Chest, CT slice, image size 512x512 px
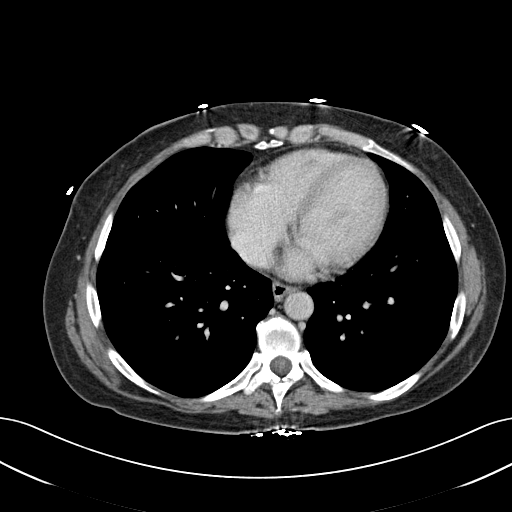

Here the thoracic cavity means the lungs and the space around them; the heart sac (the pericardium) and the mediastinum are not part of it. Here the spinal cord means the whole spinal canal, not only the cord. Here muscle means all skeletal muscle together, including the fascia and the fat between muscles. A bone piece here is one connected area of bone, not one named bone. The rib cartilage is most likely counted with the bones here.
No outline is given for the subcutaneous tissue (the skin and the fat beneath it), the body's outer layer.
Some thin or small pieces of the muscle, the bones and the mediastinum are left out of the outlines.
Outlined structures:
thoracic cavity 1: (200, 146) (232, 148) (248, 152) (252, 156) (233, 184) (225, 224) (230, 244) (239, 257) (249, 268) (270, 280) (273, 303) (255, 325) (256, 349) (244, 367) (229, 381) (204, 395) (183, 397) (149, 383) (116, 350) (102, 321) (96, 271) (115, 214) (128, 191) (174, 153)
thoracic cavity 2: (371, 153) (411, 172) (428, 190) (438, 210) (457, 270) (457, 292) (446, 335) (438, 348) (419, 369) (375, 392) (345, 388) (323, 374) (303, 346) (302, 337) (314, 311) (314, 301) (307, 289) (349, 271) (371, 251) (385, 227) (390, 207) (389, 182) (382, 168) (369, 156)
bones 1: (276, 316) (282, 316) (295, 326) (315, 367) (345, 390) (337, 393) (321, 388) (306, 374) (287, 390) (279, 414) (274, 412) (276, 402) (267, 382) (248, 395) (239, 390) (213, 401) (197, 401) (197, 398) (229, 382) (245, 367) (257, 349) (256, 325) (263, 319) with a hole at (278, 356) (282, 356) (283, 357) (284, 357) (285, 358) (286, 358) (290, 362) (290, 369) (284, 375) (283, 375) (282, 376) (280, 376) (278, 374) (277, 374) (276, 373) (275, 373) (271, 369) (271, 368) (270, 367) (270, 364) (271, 363) (271, 362) (276, 357) (277, 357)
bones 2: (240, 124) (255, 126) (259, 138) (267, 141) (267, 130) (276, 126) (312, 124) (316, 134) (326, 126) (357, 133) (401, 157) (413, 172) (328, 136) (298, 144) (286, 138) (283, 144) (264, 149) (241, 137) (237, 146) (208, 143) (179, 149) (183, 139) (201, 130) (236, 129)
bones 3: (108, 347) (112, 347) (114, 348) (115, 350) (137, 374) (138, 374) (155, 389) (157, 389) (159, 391) (159, 394) (155, 394) (154, 393) (152, 393) (138, 386) (132, 381) (128, 379) (123, 374) (122, 374) (117, 369) (117, 368) (110, 360) (107, 354) (107, 348)
bones 4: (421, 368) (424, 368) (424, 370) (422, 375) (419, 379) (410, 388) (402, 393) (399, 396) (389, 400) (381, 400) (380, 401) (374, 401) (371, 399) (369, 399) (366, 396) (368, 392) (371, 392) (372, 393) (379, 392) (395, 385) (397, 383) (410, 376)
bones 5: (459, 290) (462, 290) (465, 293) (465, 295) (466, 296) (466, 305) (465, 306) (465, 311) (464, 312) (463, 320) (459, 329) (459, 331) (456, 336) (453, 339) (451, 339) (447, 335) (447, 333) (449, 328) (449, 323) (451, 318) (451, 314) (453, 309) (454, 301)
bones 6: (87, 282) (91, 282) (92, 283) (92, 284) (95, 287) (96, 289) (96, 292) (97, 293) (97, 298) (99, 302) (99, 308) (101, 312) (101, 324) (98, 327) (95, 327) (94, 326) (89, 315) (88, 309) (87, 308) (86, 296) (85, 295) (85, 289) (86, 288) (86, 283)
bones 7: (442, 213) (444, 213) (448, 216) (451, 222) (453, 224) (458, 235) (458, 238) (461, 246) (461, 254) (459, 258) (459, 262) (458, 264) (456, 263) (454, 259) (453, 254) (451, 251) (448, 240) (446, 237) (443, 228) (443, 224) (441, 218) (441, 214)
bones 8: (111, 211) (114, 211) (114, 216) (113, 217) (111, 228) (110, 229) (110, 231) (108, 234) (108, 236) (105, 243) (105, 247) (101, 254) (101, 256) (98, 262) (96, 262) (94, 258) (94, 249) (97, 243) (97, 240) (99, 236) (99, 233) (103, 225) (103, 223) (107, 215)
spinal cord: (278, 356) (282, 356) (283, 357) (284, 357) (285, 358) (286, 358) (290, 362) (290, 369) (284, 375) (283, 375) (282, 376) (280, 376) (278, 374) (277, 374) (276, 373) (275, 373) (271, 369) (271, 368) (270, 367) (270, 364) (271, 363) (271, 362) (276, 357) (277, 357)
muscle 1: (183, 137) (176, 145) (180, 150) (164, 159) (127, 191) (115, 213) (111, 210) (106, 215) (98, 233) (93, 249) (97, 263) (95, 286) (87, 281) (84, 295) (93, 326) (98, 328) (102, 322) (113, 346) (106, 348) (111, 363) (128, 380) (152, 394) (159, 395) (159, 389) (183, 398) (196, 398) (200, 403) (213, 402) (239, 391) (248, 396) (267, 383) (276, 415) (282, 413) (283, 399) (288, 390) (306, 375) (321, 389) (332, 393) (343, 393) (348, 389) (367, 392) (365, 396) (374, 402) (395, 399) (373, 407) (330, 409) (323, 414) (293, 417) (265, 418) (240, 414) (236, 410) (185, 413) (122, 395) (106, 386) (82, 363) (67, 335) (65, 314) (68, 300) (75, 291) (80, 260) (87, 243) (110, 200) (129, 176)
muscle 2: (406, 160) (424, 172) (463, 221) (484, 264) (486, 303) (473, 334) (460, 351) (425, 381) (401, 395) (420, 379) (425, 370) (422, 367) (445, 337) (453, 340) (457, 336) (467, 305) (466, 293) (458, 290) (457, 265) (462, 246) (457, 230) (446, 213) (440, 215) (433, 196)
muscle 3: (250, 124) (254, 124) (257, 126) (259, 126) (260, 127) (261, 127) (264, 130) (266, 130) (266, 132) (267, 133) (267, 134) (270, 137) (268, 139) (268, 140) (267, 140) (264, 138) (260, 138) (260, 136) (261, 135) (261, 132) (260, 131) (260, 130) (255, 125)
mediastinum 1: (245, 262) (253, 268) (263, 270) (274, 276) (300, 284) (312, 284) (318, 281) (329, 280) (318, 282) (309, 286) (306, 289) (307, 293) (313, 301) (313, 311) (305, 324) (302, 336) (296, 326) (282, 315) (276, 315) (264, 319) (274, 303) (272, 283) (268, 277) (249, 267)
mediastinum 2: (319, 140) (339, 142) (347, 146) (353, 146) (370, 153) (368, 155) (361, 151) (344, 147) (343, 145) (330, 145) (325, 143) (324, 143) (307, 143) (303, 145) (292, 145) (260, 157) (236, 180) (251, 162) (253, 156) (248, 151) (232, 147) (253, 143) (254, 148) (264, 150) (281, 146) (285, 141) (288, 141) (292, 144) (298, 145) (299, 144) (315, 142)
pericardium: (307, 144) (343, 146) (344, 148) (349, 148) (368, 156) (379, 166) (383, 173) (388, 187) (389, 207) (379, 238) (359, 261) (343, 273) (335, 275) (331, 279) (318, 280) (312, 283) (300, 283) (248, 264) (232, 246) (226, 218) (234, 193) (234, 184) (254, 162) (284, 148)
torso: (271, 100) (321, 102) (383, 117) (430, 138) (453, 158) (489, 211) (505, 256) (504, 298) (486, 353) (460, 385) (429, 404) (333, 430) (283, 428) (236, 435) (202, 433) (145, 423) (89, 404) (58, 371) (42, 313) (47, 267) (77, 189) (115, 150) (156, 124) (204, 106)